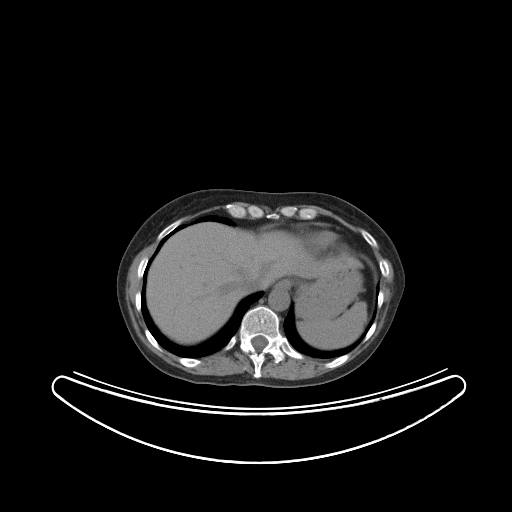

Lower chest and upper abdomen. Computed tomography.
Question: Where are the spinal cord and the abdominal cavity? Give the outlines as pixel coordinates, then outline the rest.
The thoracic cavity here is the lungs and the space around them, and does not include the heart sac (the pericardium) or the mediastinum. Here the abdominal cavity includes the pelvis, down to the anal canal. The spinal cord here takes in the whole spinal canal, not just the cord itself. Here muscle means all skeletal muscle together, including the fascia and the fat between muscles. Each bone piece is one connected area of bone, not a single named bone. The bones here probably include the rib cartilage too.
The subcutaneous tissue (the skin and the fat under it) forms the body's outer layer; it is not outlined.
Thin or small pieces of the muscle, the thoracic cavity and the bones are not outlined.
Answer: {"spinal_cord":[[[257,336],[261,336],[262,337],[263,337],[264,338],[265,338],[266,339],[266,340],[267,341],[267,344],[260,351],[257,351],[255,349],[255,348],[253,346],[253,345],[252,344],[252,343],[251,342],[251,340],[254,337],[256,337]]],"abdominal_cavity":[[[204,221],[234,222],[243,228],[296,224],[305,247],[318,257],[349,251],[352,244],[366,252],[376,266],[379,289],[363,334],[340,349],[310,347],[296,331],[292,288],[276,281],[242,299],[209,339],[193,346],[168,339],[146,306],[148,269],[169,236]]],"pericardium":[[[301,221],[311,221],[314,223],[330,223],[340,226],[351,240],[352,243],[351,249],[325,256],[318,256],[314,254],[312,251],[310,251],[306,247],[306,244],[304,243],[304,240],[302,239],[302,236],[300,235],[300,232],[296,227],[297,223]]],"mediastinum":[[[216,212],[223,212],[238,219],[251,217],[278,220],[286,217],[312,220],[319,215],[333,218],[359,234],[370,246],[378,264],[380,281],[377,266],[370,256],[355,245],[338,224],[301,220],[296,223],[271,222],[255,227],[243,227],[226,216],[214,213]],[[276,282],[284,282],[291,288],[291,291],[293,295],[293,301],[289,307],[286,316],[282,323],[283,333],[281,330],[280,318],[271,308],[266,305],[261,304],[258,304],[250,307],[254,302],[257,301],[263,295],[264,290],[267,289],[272,284],[274,284]]],"torso":[[[209,188],[328,193],[355,205],[383,228],[394,243],[401,259],[405,287],[387,333],[364,363],[350,373],[326,383],[275,388],[259,385],[220,386],[193,383],[163,373],[142,355],[127,330],[117,301],[116,276],[121,257],[140,225],[158,208],[183,194]]],"bones":[{"outer":[[258,305],[266,306],[278,316],[281,332],[290,345],[304,355],[304,358],[298,359],[287,355],[276,363],[274,357],[267,353],[261,365],[261,376],[256,378],[253,376],[253,362],[247,353],[241,351],[237,344],[228,350],[223,348],[238,331],[244,314]],"hole":[[257,336],[261,336],[262,337],[263,337],[264,338],[265,338],[266,339],[266,340],[267,341],[267,344],[260,351],[257,351],[255,349],[255,348],[253,346],[253,345],[252,344],[252,343],[251,342],[251,340],[254,337],[256,337]]},[[228,203],[245,208],[255,205],[266,214],[272,212],[278,213],[282,207],[292,205],[299,209],[312,208],[317,212],[317,215],[312,219],[302,219],[296,214],[292,217],[281,215],[278,219],[252,217],[248,215],[238,218],[233,217],[226,211],[224,206]],[[180,218],[183,219],[183,221],[181,224],[180,224],[177,227],[176,227],[168,234],[167,234],[165,236],[164,236],[159,241],[158,240],[157,240],[157,235],[166,226],[167,226],[169,224],[170,224],[175,220],[176,220],[177,219],[179,219]],[[347,353],[349,353],[349,358],[344,363],[343,363],[341,365],[339,366],[337,366],[336,367],[334,367],[333,368],[330,368],[329,367],[325,367],[324,366],[324,364],[326,362],[328,361],[330,361],[337,357],[339,357]],[[179,357],[185,357],[186,358],[197,358],[198,359],[199,359],[201,361],[201,362],[199,364],[198,364],[197,365],[196,365],[193,367],[189,367],[188,366],[185,366],[184,365],[183,365],[181,363],[180,363],[178,360],[178,358]],[[361,229],[364,229],[365,230],[366,230],[368,232],[369,232],[372,235],[372,236],[375,239],[375,240],[377,242],[377,246],[376,246],[375,247],[372,247],[362,237],[362,236],[361,235],[361,234],[360,233],[360,230]],[[144,256],[147,256],[149,258],[148,259],[148,261],[147,262],[147,264],[146,265],[146,267],[144,270],[144,272],[143,273],[143,276],[142,277],[142,278],[138,278],[138,277],[137,276],[137,269],[138,268],[138,265],[139,264],[141,259]],[[382,258],[384,258],[386,260],[386,261],[388,264],[388,267],[389,268],[389,274],[388,275],[388,277],[384,277],[383,276],[382,276],[382,275],[381,274],[381,272],[380,271],[380,269],[379,268],[379,264],[378,263],[378,262],[379,261],[379,260]],[[146,327],[149,330],[150,333],[153,336],[153,337],[156,340],[156,341],[159,344],[159,345],[162,348],[162,350],[158,350],[155,347],[154,347],[151,344],[151,343],[148,340],[148,339],[147,338],[147,337],[146,336],[146,335],[144,332],[144,329]],[[374,321],[375,321],[376,322],[376,327],[375,328],[375,330],[373,332],[373,333],[369,337],[369,338],[367,340],[366,340],[363,342],[362,341],[362,340],[363,339],[363,338],[364,337],[366,332],[368,330],[368,329],[370,327],[370,326]],[[137,291],[140,291],[140,293],[141,294],[141,302],[140,303],[141,304],[141,308],[140,309],[140,311],[138,311],[137,310],[137,309],[136,308],[136,307],[135,306],[135,294],[136,293],[136,292]]],"thoracic_cavity":[[[209,214],[226,217],[232,224],[204,220],[203,221],[182,227],[174,231],[167,237],[153,256],[148,266],[144,284],[145,306],[155,327],[174,344],[197,346],[228,323],[242,300],[256,292],[262,295],[249,306],[222,348],[200,357],[179,356],[162,347],[146,325],[141,311],[142,279],[149,259],[164,237],[180,225]],[[292,305],[293,322],[295,331],[300,339],[310,348],[323,352],[331,352],[335,350],[340,350],[353,344],[365,333],[362,339],[353,349],[349,352],[337,356],[332,359],[324,359],[305,355],[295,349],[291,345],[287,337],[284,334],[283,323],[290,307]]],"muscle":[[[156,236],[158,243],[152,254],[150,257],[144,255],[136,269],[136,276],[142,280],[142,284],[141,289],[134,294],[134,306],[138,312],[141,312],[146,326],[143,332],[147,340],[158,351],[162,351],[163,348],[178,356],[178,362],[189,368],[202,362],[198,358],[221,349],[228,351],[237,345],[252,362],[253,377],[243,373],[230,375],[190,373],[167,363],[141,341],[133,327],[125,299],[126,279],[135,256]],[[267,354],[273,357],[273,361],[276,364],[283,361],[287,356],[298,360],[302,360],[305,358],[305,356],[309,356],[312,358],[330,360],[326,361],[323,366],[330,369],[336,368],[318,376],[305,379],[288,380],[272,377],[261,377],[262,365],[266,359]],[[378,244],[381,252],[390,261],[393,268],[394,275],[392,285],[393,293],[390,299],[384,324],[378,335],[361,353],[350,361],[345,363],[350,358],[350,352],[361,341],[363,343],[367,341],[376,330],[377,322],[374,320],[376,309],[377,308],[379,309],[384,302],[384,292],[380,288],[380,282],[382,277],[384,278],[389,277],[390,268],[387,260],[384,257],[380,258],[378,261],[377,260],[372,248],[377,247]],[[296,204],[316,205],[329,209],[337,213],[349,222],[363,228],[361,228],[359,230],[359,233],[357,233],[346,227],[333,217],[331,217],[328,215],[324,215],[323,214],[319,214],[318,215],[318,212],[312,207],[301,207],[299,208],[297,206],[293,205]],[[224,204],[223,207],[226,212],[224,212],[223,211],[216,211],[213,213],[204,214],[203,215],[198,216],[195,218],[193,218],[183,223],[184,219],[180,217],[204,208],[207,208],[215,205],[223,205]],[[235,201],[241,201],[242,202],[247,202],[248,203],[251,203],[252,204],[261,204],[262,205],[266,205],[267,206],[269,206],[272,208],[274,208],[277,206],[281,206],[282,205],[289,205],[285,205],[284,206],[282,206],[279,209],[278,212],[276,211],[272,211],[271,212],[268,212],[266,213],[262,208],[255,204],[250,204],[248,206],[245,207],[242,205],[239,205],[238,204],[232,203],[232,202],[234,202]]]}